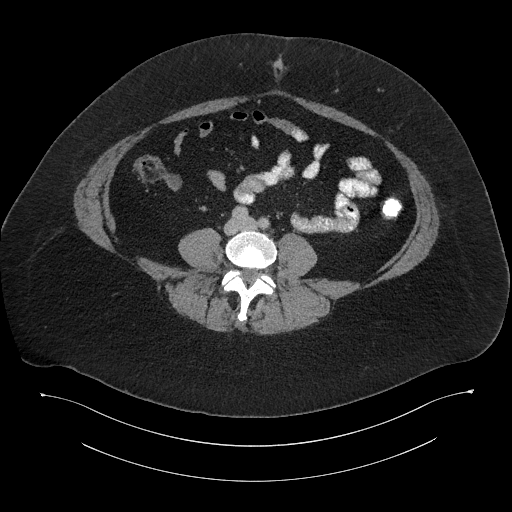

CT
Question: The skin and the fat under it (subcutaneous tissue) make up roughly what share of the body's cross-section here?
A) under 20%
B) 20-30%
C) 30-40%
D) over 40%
Answer: D) over 40%
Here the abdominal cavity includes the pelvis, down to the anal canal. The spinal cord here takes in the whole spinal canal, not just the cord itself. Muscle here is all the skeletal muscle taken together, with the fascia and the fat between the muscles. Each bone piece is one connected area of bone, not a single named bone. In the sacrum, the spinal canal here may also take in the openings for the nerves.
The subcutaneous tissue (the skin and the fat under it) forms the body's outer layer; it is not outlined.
The abdominal cavity is outlined by 268,96 286,98 381,140 405,170 415,206 413,226 402,247 367,281 302,278 318,255 291,231 275,242 265,232 243,229 224,247 212,227 195,229 177,243 190,267 132,254 118,235 110,182 137,142 159,125. The bones are outlined by 243,230 265,233 274,241 277,255 275,261 265,270 275,283 274,292 256,295 248,305 247,319 240,321 237,318 240,309 240,296 236,291 224,291 221,280 224,274 232,267 232,264 225,255 225,244 231,237, around a hole outlined by 243,268 249,268 250,269 252,269 253,268 254,269 256,269 258,271 258,273 257,274 257,276 252,282 251,282 250,283 247,283 243,279 243,278 241,276 241,274 242,273 242,271 241,270 241,269 242,269. The spinal cord is outlined by 243,268 249,268 250,269 252,269 253,268 254,269 256,269 258,271 258,273 257,274 257,276 252,282 251,282 250,283 247,283 243,279 243,278 241,276 241,274 242,273 242,271 241,270 241,269 242,269. The muscle is outlined by 270,90 289,92 345,112 386,137 411,158 431,186 439,214 438,235 429,254 412,269 399,276 381,281 339,298 333,311 318,323 290,332 270,335 257,335 242,332 238,329 231,332 214,331 181,316 164,305 156,291 155,282 147,274 137,270 117,255 97,245 82,232 77,226 74,214 73,193 77,184 96,159 106,149 125,136 180,109 203,101, around a hole outlined by 268,96 381,140 406,172 415,220 363,282 302,278 318,255 303,236 284,233 265,270 275,290 256,295 240,321 239,294 221,285 232,267 222,236 212,227 182,236 177,251 190,267 132,254 109,188 152,129. The torso is outlined by 239,32 312,36 355,46 410,75 445,109 463,136 483,179 509,269 501,327 483,353 348,404 270,418 213,416 178,410 131,396 67,367 41,367 23,361 4,302 1,228 44,153 95,97 136,65 193,40.